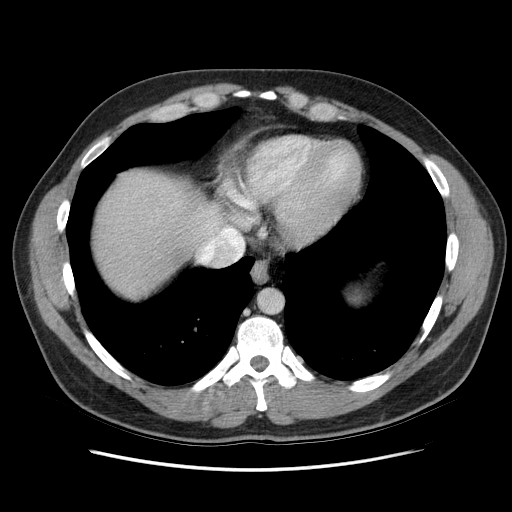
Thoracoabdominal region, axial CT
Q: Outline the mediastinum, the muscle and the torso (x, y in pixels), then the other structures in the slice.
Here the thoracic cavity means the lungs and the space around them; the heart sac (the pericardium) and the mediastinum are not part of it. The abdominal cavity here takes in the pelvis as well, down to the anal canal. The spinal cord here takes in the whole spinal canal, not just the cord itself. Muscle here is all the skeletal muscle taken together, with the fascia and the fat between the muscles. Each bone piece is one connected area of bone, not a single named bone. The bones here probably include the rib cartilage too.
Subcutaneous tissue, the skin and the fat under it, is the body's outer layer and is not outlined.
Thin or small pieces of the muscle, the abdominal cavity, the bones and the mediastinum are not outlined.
A: Outlined structures:
mediastinum 1: 283,331 285,298 281,277 285,271 285,255 278,256 265,248 254,246 247,234 232,223 226,213 231,223 230,229 214,268 229,265 244,255 254,258 249,272 254,294 240,315 238,324 249,316 261,314 274,319
mediastinum 2: 212,192 208,180 219,153 242,133 262,123 281,120 335,129 360,142 367,154 357,131 357,126 361,123 349,121 312,121 274,101 228,100 211,110 237,106 241,109 241,112 224,133 201,156 196,158 204,181
muscle: 222,428 251,415 283,425 358,409 443,352 462,331 485,298 493,239 477,198 448,161 339,100 311,97 288,85 271,89 278,94 275,101 286,106 286,95 306,95 307,106 293,111 306,115 310,104 331,103 348,120 391,137 421,163 423,155 432,159 450,187 443,199 447,233 454,231 460,246 453,270 444,270 438,289 443,304 434,326 418,346 420,330 384,370 393,372 386,382 359,393 346,387 351,381 314,371 314,381 297,379 290,389 270,376 263,387 264,412 255,409 246,375 231,387 220,380 197,393 188,390 193,382 162,386 134,374 128,381 109,369 86,342 78,297 71,298 61,279 69,253 55,219 60,202 72,199 81,158 103,135 113,141 129,126 151,121 146,115 153,109 202,91 216,92 223,102 237,98 231,93 243,86 191,87 129,115 91,141 45,194 28,243 30,289 44,323 98,377 151,410
torso: 206,446 265,439 319,441 385,428 450,394 473,368 505,267 503,216 461,152 419,109 390,89 354,75 314,68 198,68 147,77 93,108 29,194 14,231 12,269 25,317 59,388 79,409 110,425 156,439
pericardium: 278,255 283,255 289,251 298,251 325,235 363,196 368,181 367,155 360,143 353,138 327,128 318,128 298,123 275,121 262,124 242,134 220,153 209,180 213,192 232,222 248,234 254,245 258,247 265,247
bones 1: 259,411 267,408 262,387 270,375 285,388 292,387 297,378 312,381 315,376 303,364 302,358 284,343 279,325 268,317 256,315 237,326 236,342 189,390 198,392 220,379 231,386 246,374 255,389 256,409 with a hole at 258,371 260,371 261,370 264,369 267,366 267,365 268,364 268,360 266,358 265,358 262,356 255,356 254,357 253,357 251,359 251,360 250,361 250,364 253,367 253,368 254,368 256,370 257,370
bones 2: 155,122 170,121 180,118 195,111 206,111 207,110 210,110 219,106 222,103 223,100 220,98 219,95 214,92 202,92 193,96 189,101 176,102 169,105 162,106 155,110 153,110 147,115 147,117 152,121
bones 3: 128,380 131,380 132,379 132,373 126,369 121,364 120,364 102,346 102,345 98,341 94,335 87,328 85,327 82,327 82,331 84,334 84,336 87,342 91,348 102,360 102,361 114,372
bones 4: 317,121 329,121 333,119 336,119 337,120 347,120 347,117 345,115 341,114 339,112 339,110 337,107 328,103 319,102 318,103 315,103 309,106 308,108 308,113 306,116 307,116 312,120 316,120
bones 5: 359,392 361,392 362,391 367,391 368,390 371,390 372,389 376,388 385,381 386,381 391,376 392,372 389,370 386,370 383,372 375,373 370,376 367,376 366,377 352,381 347,387 352,391 358,391
bones 6: 442,198 445,198 446,197 448,197 449,195 449,187 448,186 447,181 444,175 442,173 441,170 439,168 439,167 432,160 431,160 426,156 423,156 422,157 422,163 427,170 427,171 429,173 433,182 435,184
bones 7: 418,345 420,344 424,340 424,339 430,331 440,311 440,309 441,308 441,305 442,304 442,295 440,293 437,293 422,323 422,325 421,326 421,330 422,331 422,333 416,342 416,343
bones 8: 81,169 83,169 90,162 91,162 95,158 96,158 104,150 106,149 106,148 112,142 112,140 110,136 108,136 107,135 103,136 87,151 87,152 84,155 84,156 81,160 81,162 80,163 80,167
bones 9: 448,271 451,271 455,264 455,262 456,261 456,259 457,258 457,253 458,252 458,247 459,246 459,242 458,241 458,238 457,237 456,234 454,232 450,232 447,236 447,242 446,243 446,251 445,252 445,267
bones 10: 74,299 76,298 76,295 77,293 75,288 75,283 73,278 73,274 72,273 71,266 70,265 69,260 67,260 65,261 62,265 62,279 64,282 64,284 66,287 66,289 68,293 72,297 72,298
bones 11: 59,232 63,232 65,231 65,227 66,226 66,223 67,222 67,218 68,217 68,214 69,213 69,209 70,208 70,201 66,198 61,202 58,208 58,210 57,211 57,216 56,217 56,219 57,220 57,229
bones 12: 292,110 295,110 296,109 299,109 300,108 303,108 305,107 307,104 307,101 308,100 307,99 307,97 299,93 292,93 286,96 286,98 288,101 288,104 287,106 288,108
abdominal cavity 1: 129,303 141,303 161,292 187,268 214,267 220,247 228,233 230,223 226,218 224,211 216,202 212,193 204,183 195,158 173,162 148,162 118,172 103,192 94,208 88,238 92,261 98,275 106,287 116,297
abdominal cavity 2: 354,309 359,309 368,305 371,303 375,296 381,292 383,286 383,282 390,274 389,262 384,258 379,257 370,262 364,274 359,274 359,277 357,279 350,280 342,288 341,294 344,302 346,305
thoracic cavity 1: 340,380 353,380 382,371 405,352 420,329 444,269 447,235 444,208 428,173 400,144 364,124 358,126 358,131 371,164 364,197 325,236 298,252 287,253 286,271 282,277 286,298 285,343 303,358 309,369; inner edge: 354,309 359,309 368,305 371,303 375,296 381,292 383,286 383,282 390,274 389,262 384,258 379,257 370,262 364,274 359,274 359,277 357,279 350,280 342,288 341,294 344,302 346,305
thoracic cavity 2: 162,385 194,381 235,342 239,315 253,294 248,273 253,258 223,268 187,269 161,293 129,304 95,271 87,242 91,214 118,171 198,157 237,116 237,107 129,127 82,171 71,202 66,234 89,329 126,368
spinal cord: 258,371 260,371 261,370 264,369 267,366 267,365 268,364 268,360 266,358 265,358 262,356 255,356 254,357 253,357 251,359 251,360 250,361 250,364 253,367 253,368 254,368 256,370 257,370